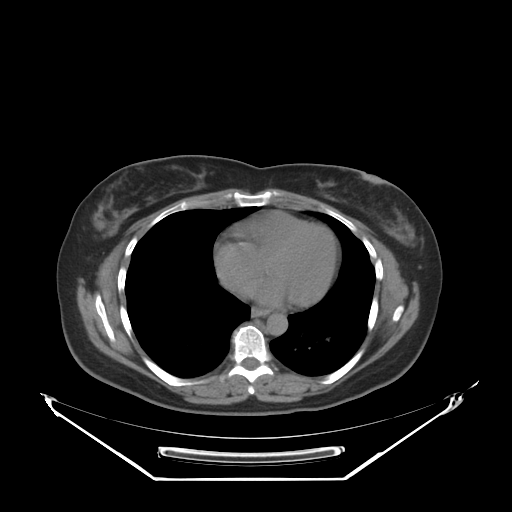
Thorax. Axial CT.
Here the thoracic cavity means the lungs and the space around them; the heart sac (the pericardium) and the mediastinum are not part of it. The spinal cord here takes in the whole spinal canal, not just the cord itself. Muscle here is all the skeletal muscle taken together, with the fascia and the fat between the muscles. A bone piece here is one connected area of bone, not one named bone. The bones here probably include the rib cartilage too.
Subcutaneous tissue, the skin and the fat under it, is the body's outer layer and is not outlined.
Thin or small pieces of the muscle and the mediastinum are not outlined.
The bones appear in 13 outlined pieces: piece 1: 244 324; 254 325; 262 332; 266 345; 278 367; 273 375; 262 374; 256 378; 252 383; 254 389; 253 394; 248 392; 248 386; 250 383; 244 376; 234 374; 221 381; 219 375; 222 370; 217 368; 232 351; 231 336; 233 331; 238 326, around a hole outlined by 246 358; 254 358; 255 359; 256 359; 259 362; 259 364; 255 368; 254 368; 253 369; 247 369; 245 367; 244 367; 242 365; 242 364; 241 363; 242 362; 242 361; 244 359; 245 359; piece 2: 267 190; 277 190; 281 192; 283 194; 283 196; 281 198; 281 200; 276 203; 272 203; 261 206; 236 206; 232 203; 231 201; 228 201; 224 199; 223 197; 225 194; 227 193; 232 193; 235 191; 243 194; 250 195; 251 194; 259 194; piece 3: 144 356; 148 357; 163 370; 176 377; 179 378; 185 378; 186 379; 191 379; 192 378; 194 379; 207 379; 207 381; 203 383; 197 383; 192 385; 182 385; 181 386; 174 386; 173 385; 170 385; 156 375; 145 364; 142 359; 142 357; piece 4: 184 200; 185 201; 190 201; 191 200; 205 200; 206 201; 208 201; 208 203; 197 208; 189 208; 188 209; 180 210; 179 211; 171 213; 165 217; 162 218; 159 221; 155 223; 151 227; 148 228; 148 225; 150 222; 161 212; piece 5: 362 348; 364 349; 364 352; 362 354; 361 357; 346 373; 345 373; 341 377; 331 383; 329 383; 328 384; 322 384; 320 383; 319 381; 321 380; 325 375; 327 375; 340 368; 343 365; 344 365; 358 351; 359 349; 361 349; piece 6: 97 294; 99 294; 101 297; 102 302; 105 308; 108 322; 112 328; 112 330; 114 334; 114 337; 115 338; 115 341; 113 342; 109 339; 107 335; 107 333; 104 328; 102 320; 100 316; 97 313; 97 311; 95 307; 95 297; piece 7: 362 237; 365 237; 372 244; 373 247; 375 249; 377 256; 381 260; 381 263; 383 268; 383 276; 380 280; 376 279; 376 277; 375 276; 375 269; 373 264; 375 260; 374 259; 371 259; 370 255; 365 245; 361 240; 361 238; piece 8: 321 205; 325 206; 326 207; 328 207; 332 209; 334 211; 339 213; 342 216; 343 216; 345 218; 352 222; 357 229; 356 230; 355 234; 345 224; 344 224; 341 221; 338 220; 336 218; 326 213; 320 212; 319 211; 319 207; piece 9: 373 296; 375 296; 377 298; 377 301; 378 302; 378 311; 377 312; 377 316; 376 317; 374 325; 372 329; 370 331; 368 331; 367 330; 367 322; 368 321; 368 317; 369 316; 369 312; 370 311; 370 307; 371 306; 371 303; 372 302; piece 10: 121 305; 123 305; 126 308; 127 315; 128 316; 128 318; 129 319; 129 321; 130 322; 130 324; 132 328; 132 331; 133 332; 132 334; 132 339; 131 339; 128 336; 123 326; 123 324; 121 320; 121 317; 120 316; 120 306; piece 11: 121 267; 125 267; 126 268; 126 275; 125 276; 125 283; 124 284; 124 291; 123 292; 121 292; 120 293; 118 291; 118 288; 117 287; 117 276; 118 275; 118 272; 119 271; 119 269; piece 12: 134 236; 135 236; 138 239; 138 240; 137 241; 136 244; 134 246; 134 247; 131 252; 131 254; 130 255; 130 256; 129 256; 128 257; 125 257; 125 256; 124 255; 124 253; 125 252; 125 249; 126 248; 126 246; 129 242; 129 241; piece 13: 399 305; 402 305; 404 307; 404 308; 403 309; 403 311; 402 312; 402 313; 401 314; 401 315; 400 316; 400 317; 399 318; 399 319; 397 321; 393 321; 392 320; 392 316; 393 315; 393 313; 394 312; 394 310; 396 308; 396 307. The pericardium is outlined by 266 209; 291 210; 315 217; 327 224; 334 232; 339 241; 341 248; 341 259; 337 275; 333 283; 319 301; 302 311; 291 312; 277 309; 268 309; 267 307; 246 303; 223 287; 216 273; 214 263; 214 246; 220 234; 232 224; 256 212. The spinal cord is outlined by 246 358; 254 358; 255 359; 256 359; 259 362; 259 364; 255 368; 254 368; 253 369; 247 369; 245 367; 244 367; 242 365; 242 364; 241 363; 242 362; 242 361; 244 359; 245 359. The thoracic cavity appears in 2 outlined pieces: piece 1: 231 207; 258 207; 230 223; 217 234; 212 250; 213 263; 218 284; 249 306; 249 318; 232 331; 230 336; 231 351; 216 368; 196 377; 179 377; 153 361; 133 331; 126 307; 125 294; 130 257; 138 241; 146 232; 171 214; 189 209; piece 2: 312 211; 326 214; 341 222; 362 242; 373 265; 375 277; 366 333; 357 351; 337 369; 316 376; 300 374; 288 368; 275 359; 269 349; 270 342; 288 330; 288 316; 303 312; 319 302; 338 276; 342 262; 340 241; 332 228; 311 214. The muscle is outlined by 227 188; 250 192; 225 193; 223 199; 235 206; 201 207; 208 200; 181 200; 161 211; 139 239; 134 235; 125 246; 123 255; 129 257; 129 263; 127 268; 121 266; 116 276; 117 291; 124 292; 126 300; 126 306; 119 306; 120 320; 127 336; 132 340; 134 334; 148 356; 141 357; 144 364; 161 380; 174 387; 203 384; 207 378; 194 378; 219 369; 221 382; 240 375; 248 381; 247 392; 253 395; 257 378; 273 376; 279 369; 276 360; 297 374; 323 376; 319 383; 328 385; 346 374; 365 352; 359 348; 367 331; 373 329; 379 311; 375 283; 384 276; 376 249; 365 236; 360 239; 356 235; 358 229; 352 221; 332 208; 321 204; 315 211; 282 206; 277 203; 284 194; 277 189; 255 193; 267 188; 311 197; 366 225; 392 252; 405 281; 409 285; 419 282; 419 311; 410 328; 382 356; 331 390; 290 402; 261 401; 253 395; 230 404; 189 402; 99 351; 84 327; 75 280; 82 277; 88 287; 94 288; 100 264; 139 219; 185 197, around holes outlined by 97 294; 99 294; 101 297; 102 302; 105 308; 108 322; 112 328; 112 330; 114 334; 114 337; 115 338; 115 341; 113 342; 109 339; 107 335; 107 333; 104 328; 102 320; 100 316; 97 313; 97 311; 95 307; 95 297 and by 399 305; 402 305; 404 307; 404 308; 403 309; 403 311; 402 312; 402 313; 401 314; 401 315; 400 316; 400 317; 399 318; 399 319; 397 321; 393 321; 392 320; 392 316; 393 315; 393 313; 394 312; 394 310; 396 308; 396 307. The torso is outlined by 178 154; 216 155; 259 167; 295 162; 342 165; 375 174; 408 194; 434 231; 443 271; 436 317; 427 342; 413 365; 395 381; 335 406; 255 416; 169 409; 102 382; 84 371; 66 345; 56 293; 56 261; 71 217; 89 191; 116 169. The mediastinum appears in 2 outlined pieces: piece 1: 249 305; 261 307; 262 308; 267 308; 268 310; 277 310; 283 312; 294 313; 290 313; 287 316; 288 320; 287 330; 282 335; 272 339; 269 342; 268 347; 263 332; 257 326; 251 323; 241 324; 243 322; 247 321; 250 318; 251 308; piece 2: 272 204; 278 204; 282 207; 291 208; 292 209; 295 209; 296 210; 310 210; 311 211; 310 214; 312 215; 309 215; 300 212; 297 210; 292 210; 291 209; 282 209; 281 208; 266 208; 265 209; 261 209; 248 215; 256 211; 259 207; 266 206; 267 205; 271 205.